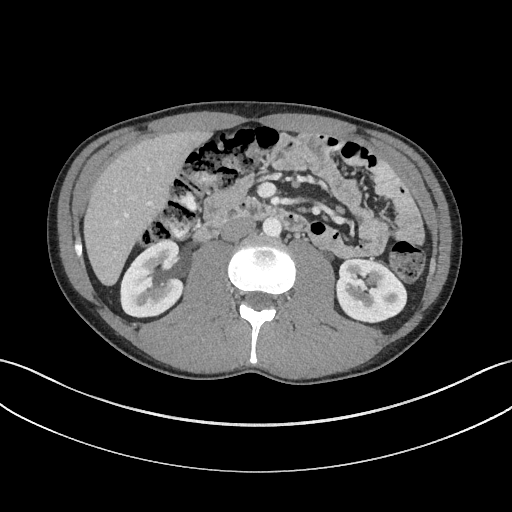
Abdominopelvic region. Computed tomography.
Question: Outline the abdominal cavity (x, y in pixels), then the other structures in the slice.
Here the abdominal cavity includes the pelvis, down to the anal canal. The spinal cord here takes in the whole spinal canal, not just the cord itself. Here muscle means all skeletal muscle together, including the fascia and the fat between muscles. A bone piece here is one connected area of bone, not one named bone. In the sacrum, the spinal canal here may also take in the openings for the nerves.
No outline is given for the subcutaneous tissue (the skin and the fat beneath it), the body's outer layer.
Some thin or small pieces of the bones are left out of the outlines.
Answer: The abdominal cavity is outlined by 382,329 415,309 431,235 401,178 366,145 259,122 182,128 130,144 88,194 80,217 86,267 98,295 128,319 155,319 180,301 202,244 219,239 235,249 261,235 287,249 301,239 323,252 334,268 335,308. The torso is outlined by 301,386 365,375 391,362 432,326 449,301 461,263 462,224 454,194 432,157 407,136 377,122 322,106 285,101 184,103 118,121 81,141 55,179 46,217 51,269 76,313 115,349 168,375 212,380 257,373. The muscle is outlined by 294,379 341,372 368,361 412,330 435,302 449,271 452,229 444,194 423,158 385,133 304,113 261,117 217,111 180,113 115,130 87,145 61,186 57,233 65,272 94,311 117,334 175,368 216,373 254,366, around a hole outlined by 253,364 259,329 295,280 294,239 329,258 341,314 382,329 405,321 435,269 420,208 386,158 342,136 245,122 130,144 103,169 80,217 74,250 94,288 114,311 149,321 180,301 196,249 229,243. The spinal cord is outlined by 256,310 260,310 263,308 268,308 272,306 274,303 274,298 273,297 273,295 271,295 264,292 260,292 259,291 250,291 249,292 246,292 244,294 244,296 243,297 243,300 244,302 247,305 252,307. The bones are outlined by 253,364 257,362 255,345 259,329 265,321 274,317 277,297 292,287 296,273 295,263 285,246 280,242 266,240 261,236 256,236 241,244 233,252 227,265 228,277 238,290 237,306 239,314 251,325 249,361 with a hole at 256,310 260,310 263,308 268,308 272,306 274,303 274,298 273,297 273,295 271,295 264,292 260,292 259,291 250,291 249,292 246,292 244,294 244,296 243,297 243,300 244,302 247,305 252,307.